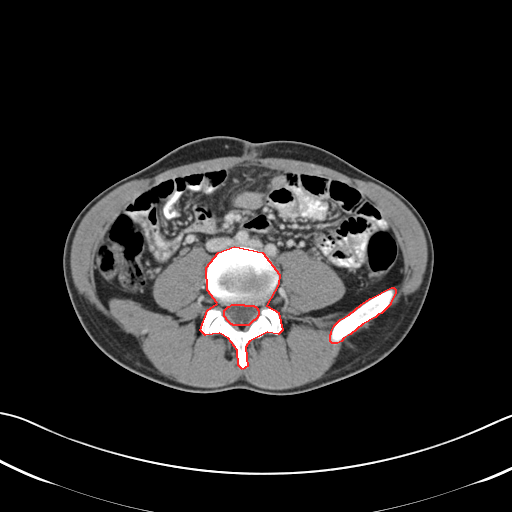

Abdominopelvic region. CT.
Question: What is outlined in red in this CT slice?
Answer: red: bones.
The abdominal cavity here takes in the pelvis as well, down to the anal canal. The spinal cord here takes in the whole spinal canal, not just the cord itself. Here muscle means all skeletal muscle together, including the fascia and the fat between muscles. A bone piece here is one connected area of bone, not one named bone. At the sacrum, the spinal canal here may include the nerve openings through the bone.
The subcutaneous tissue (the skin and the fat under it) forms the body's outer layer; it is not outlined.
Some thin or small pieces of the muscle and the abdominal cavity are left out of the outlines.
{"bones":[{"outer":[[234,246],[262,252],[279,274],[278,284],[266,305],[278,312],[282,330],[278,334],[267,332],[249,341],[245,347],[247,366],[242,369],[238,365],[237,350],[228,338],[219,333],[205,335],[200,330],[207,310],[217,303],[207,290],[206,267],[218,252]],"hole":[[232,304],[243,304],[244,305],[253,305],[254,306],[255,306],[257,308],[257,309],[258,310],[258,315],[257,316],[257,317],[254,320],[253,320],[248,325],[233,325],[232,324],[231,324],[226,319],[226,318],[224,316],[224,310],[228,306],[229,306]]},[[391,287],[393,287],[395,289],[395,293],[390,302],[390,304],[381,313],[378,314],[375,317],[362,324],[350,334],[343,338],[341,341],[337,343],[332,343],[330,341],[330,334],[331,333],[331,331],[334,325],[340,319],[349,314],[361,304],[370,298]]],"spinal_cord":[[[232,304],[243,304],[244,305],[253,305],[254,306],[255,306],[257,308],[257,309],[258,310],[258,315],[257,316],[257,317],[254,320],[253,320],[248,325],[233,325],[232,324],[231,324],[226,319],[226,318],[224,316],[224,310],[228,306],[229,306]]],"muscle":[{"outer":[[243,155],[255,156],[260,158],[265,158],[266,157],[286,158],[287,159],[294,159],[300,161],[311,162],[331,168],[349,177],[377,184],[392,193],[411,211],[419,222],[423,230],[427,244],[427,264],[425,272],[423,275],[422,281],[419,287],[413,293],[410,294],[406,299],[404,298],[404,294],[403,293],[398,298],[395,304],[385,314],[376,319],[369,328],[362,331],[359,329],[353,335],[343,341],[341,344],[341,350],[335,362],[320,378],[308,382],[303,385],[287,389],[268,389],[267,388],[263,388],[256,386],[244,379],[238,379],[236,381],[234,381],[231,383],[216,387],[197,387],[175,381],[161,374],[146,357],[142,351],[138,341],[133,335],[122,330],[117,324],[111,319],[106,317],[96,310],[79,294],[74,284],[71,274],[70,252],[75,232],[81,220],[86,213],[99,200],[108,193],[117,187],[129,181],[136,179],[141,179],[142,178],[150,178],[168,169],[177,167],[181,165],[193,162],[197,162],[202,160],[218,158],[219,157],[225,157],[226,156],[237,156],[239,157]],"hole":[[250,164],[309,171],[355,185],[381,209],[403,265],[390,304],[332,343],[334,325],[364,302],[316,313],[343,297],[343,280],[325,261],[306,251],[280,253],[275,259],[279,281],[266,305],[278,312],[282,330],[249,341],[247,366],[242,369],[228,338],[200,330],[207,310],[217,303],[204,279],[211,258],[201,246],[174,257],[155,278],[152,297],[167,312],[123,297],[104,303],[96,285],[94,257],[114,217],[152,182]]}],"torso":[[[214,135],[252,142],[294,140],[316,145],[389,185],[419,212],[433,243],[432,277],[413,326],[386,357],[352,376],[296,394],[270,395],[247,389],[194,393],[129,371],[105,355],[89,338],[73,309],[63,276],[63,248],[74,219],[110,185],[182,144]]],"abdominal_cavity":[[[250,164],[355,185],[396,237],[403,263],[397,283],[346,309],[316,313],[346,292],[319,257],[293,249],[280,253],[275,265],[245,245],[211,258],[196,246],[174,257],[153,282],[152,297],[167,312],[123,297],[102,301],[94,257],[134,196],[176,175]]]}